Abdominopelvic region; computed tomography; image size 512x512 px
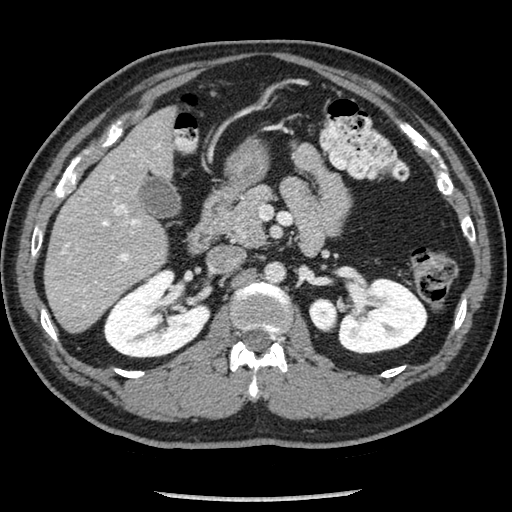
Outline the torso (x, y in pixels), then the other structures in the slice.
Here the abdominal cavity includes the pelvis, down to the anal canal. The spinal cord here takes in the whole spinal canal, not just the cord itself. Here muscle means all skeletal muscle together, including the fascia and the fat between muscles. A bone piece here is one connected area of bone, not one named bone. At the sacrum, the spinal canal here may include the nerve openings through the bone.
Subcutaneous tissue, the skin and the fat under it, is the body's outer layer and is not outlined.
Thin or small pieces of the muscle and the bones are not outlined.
Outlines:
torso: 242,39 325,42 394,68 443,111 493,189 507,253 506,291 497,331 467,388 421,423 373,441 335,448 155,447 109,433 72,410 42,382 13,335 3,297 0,250 18,183 45,139 88,91 135,59 176,46
spinal cord: 256,329 260,329 261,330 263,330 264,331 265,331 269,335 269,337 272,341 272,342 267,348 267,349 263,352 256,352 255,351 248,348 241,339 242,334 244,332 245,332 246,331 250,331 251,330 255,330
bones 1: 253,282 281,288 288,295 294,311 292,324 280,343 287,370 282,372 277,366 270,365 261,367 257,372 259,392 255,399 248,392 252,369 243,364 232,371 229,365 230,349 239,338 229,315 231,297 237,289, around a hole outlined by 256,329 260,329 261,330 263,330 264,331 265,331 269,335 269,337 272,341 272,342 267,348 267,349 263,352 256,352 255,351 248,348 241,339 242,334 244,332 245,332 246,331 250,331 251,330 255,330
bones 2: 124,113 128,113 128,117 122,125 122,133 113,143 107,147 100,149 99,152 84,155 75,168 78,171 78,176 73,189 63,198 56,197 53,194 53,190 72,158 85,146 90,144 97,144 106,127 112,120
bones 3: 398,121 407,122 410,124 440,154 447,166 447,172 454,185 454,190 450,195 444,195 437,187 435,174 439,168 436,159 428,152 424,151 420,148 413,145 411,140 399,127 397,123
bones 4: 42,305 44,305 45,306 49,314 49,316 55,328 55,331 57,334 57,336 59,340 58,342 55,342 43,329 41,325 41,322 40,321 40,310 41,309 41,307
bones 5: 466,214 468,214 470,216 470,217 473,222 473,224 474,225 474,228 475,229 475,235 476,236 476,240 473,244 471,244 468,241 467,238 464,235 464,234 462,231 461,226 460,225 460,219 461,219
bones 6: 36,224 38,224 40,228 42,229 43,231 43,239 41,243 41,246 36,256 34,258 33,258 31,257 31,252 30,251 31,249 31,237 32,236 32,233 33,232 34,227
bones 7: 463,296 464,296 466,298 466,300 467,301 467,307 466,308 465,317 461,326 457,330 452,332 451,331 452,330 452,327 454,323 454,319 455,318 455,315 457,311 457,308 458,307 459,302 461,298
bones 8: 112,366 114,366 115,367 118,367 122,369 127,369 128,370 143,370 145,373 144,375 140,377 138,377 137,378 128,378 127,377 124,377 123,376 121,376 117,373 116,373 112,369
muscle 1: 255,51 287,52 336,68 348,70 366,78 369,78 377,82 391,92 428,124 441,133 459,158 464,169 470,177 475,187 475,190 480,198 480,203 482,206 482,210 485,218 490,249 491,272 488,279 488,285 484,293 484,297 481,304 473,315 472,325 465,336 466,339 458,353 449,362 447,367 436,375 431,376 427,379 416,382 406,387 391,399 373,409 360,413 350,414 335,419 312,420 309,418 306,418 300,420 294,420 279,416 271,412 261,401 255,402 249,401 234,414 219,419 208,419 199,417 195,420 184,419 181,421 172,422 171,421 152,420 140,417 115,406 107,401 102,396 97,394 89,387 79,386 68,380 60,373 48,354 44,350 40,340 41,335 31,318 22,306 16,280 17,276 15,270 16,259 19,249 19,240 27,209 45,172 65,142 82,126 101,113 143,79 164,69 176,65 193,61 207,60 228,55, around a hole outlined by 260,55 309,68 363,97 394,122 410,124 440,154 454,185 443,197 459,220 470,216 476,236 469,244 471,276 460,296 467,301 461,326 450,330 425,361 408,363 398,374 384,378 378,372 340,367 318,353 299,305 292,302 294,318 280,343 287,370 261,367 255,399 248,392 252,369 246,364 230,369 229,352 239,337 229,304 218,307 201,339 144,369 140,377 124,377 111,365 96,367 78,359 41,325 44,302 35,281 40,251 34,258 30,251 35,225 44,235 63,199 53,190 65,168 85,146 97,144 121,114 128,113 125,128 157,97 200,73
muscle 2: 104,148 105,148 105,149 98,156 98,157 97,157 95,160 83,171 80,177 78,179 78,177 79,176 79,171 76,169 76,168 81,162 84,156 89,156 94,153 95,154 96,153 97,154 100,152 100,150
muscle 3: 414,146 415,147 420,149 422,151 428,153 432,157 433,157 435,159 435,160 436,161 436,163 437,164 437,167 438,168 438,169 435,172 434,175 430,166 427,163 427,162 415,150 415,149 414,148
abdominal cavity: 260,55 309,68 373,103 429,166 473,258 443,343 420,363 375,373 343,368 314,349 299,305 281,287 253,281 218,307 201,339 161,364 128,369 78,359 59,339 36,287 50,217 84,171 157,97 210,68